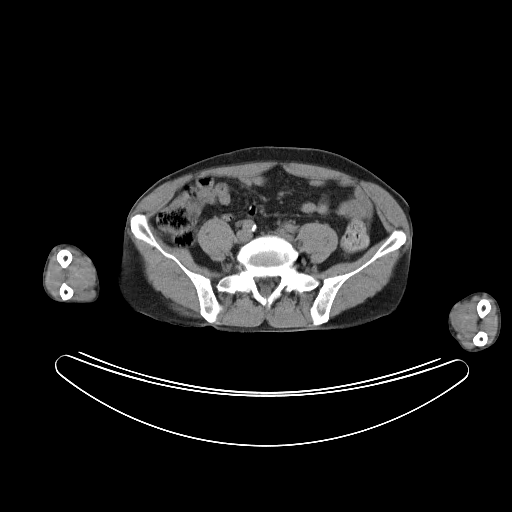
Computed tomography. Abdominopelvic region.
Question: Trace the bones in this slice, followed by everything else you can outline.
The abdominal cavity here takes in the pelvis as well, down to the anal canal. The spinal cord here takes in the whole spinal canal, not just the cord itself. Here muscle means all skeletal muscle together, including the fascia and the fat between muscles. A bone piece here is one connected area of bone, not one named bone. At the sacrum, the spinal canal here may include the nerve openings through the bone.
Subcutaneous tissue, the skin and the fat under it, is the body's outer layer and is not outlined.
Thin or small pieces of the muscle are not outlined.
Answer: Outlined structures:
bones 1: (396, 229) (405, 233) (405, 242) (350, 276) (334, 297) (329, 319) (316, 326) (310, 308) (318, 287) (300, 293) (283, 290) (269, 308) (250, 292) (216, 288) (222, 277) (239, 270) (240, 247) (258, 236) (276, 235) (288, 241) (298, 252) (297, 269) (321, 283) (359, 267) with a hole at (257, 277) (259, 277) (262, 279) (266, 278) (267, 277) (269, 278) (273, 278) (275, 277) (278, 279) (279, 283) (278, 285) (274, 287) (272, 291) (268, 295) (264, 296) (260, 293) (259, 289) (258, 288) (258, 285) (256, 284) (254, 281) (255, 278)
bones 2: (138, 213) (145, 216) (155, 240) (165, 251) (175, 256) (190, 271) (201, 274) (210, 279) (216, 299) (222, 308) (218, 313) (216, 321) (214, 323) (208, 322) (200, 314) (200, 306) (196, 289) (183, 270) (172, 259) (163, 255) (155, 247) (135, 237) (131, 231) (130, 218)
bones 3: (62, 248) (65, 248) (66, 249) (67, 249) (71, 253) (71, 255) (72, 256) (72, 258) (71, 259) (71, 261) (70, 262) (70, 263) (65, 268) (63, 268) (60, 265) (60, 264) (58, 262) (58, 261) (57, 260) (57, 253) (58, 252) (58, 251) (60, 249) (61, 249)
bones 4: (482, 298) (486, 298) (487, 299) (488, 299) (488, 300) (490, 303) (490, 306) (491, 307) (490, 308) (490, 310) (489, 311) (489, 312) (484, 317) (483, 317) (482, 318) (481, 318) (479, 316) (479, 315) (477, 312) (477, 304) (478, 303) (478, 302)
bones 5: (63, 282) (65, 282) (71, 288) (72, 288) (72, 289) (73, 290) (73, 294) (72, 295) (72, 296) (69, 299) (68, 299) (67, 300) (63, 300) (61, 298) (61, 297) (60, 296) (60, 294) (59, 293) (59, 289) (60, 288) (60, 286) (61, 285) (61, 284)
bones 6: (479, 331) (484, 331) (487, 334) (487, 342) (484, 345) (483, 345) (482, 346) (476, 346) (473, 343) (473, 337) (475, 335) (475, 334) (477, 332) (478, 332)
right arm: (64, 242) (67, 242) (76, 245) (83, 250) (93, 261) (97, 270) (97, 273) (99, 278) (99, 284) (100, 285) (99, 295) (95, 301) (89, 303) (62, 303) (51, 299) (48, 297) (45, 293) (42, 286) (42, 272) (47, 255) (53, 246) (56, 244) (63, 243)
torso: (258, 145) (314, 147) (338, 153) (374, 173) (405, 199) (413, 215) (413, 242) (406, 293) (394, 312) (343, 329) (248, 333) (221, 331) (210, 326) (174, 325) (136, 312) (124, 303) (118, 291) (116, 276) (122, 251) (124, 223) (135, 200) (154, 182) (190, 163) (218, 153)
left arm: (475, 291) (485, 291) (488, 292) (497, 300) (501, 312) (501, 329) (498, 338) (491, 346) (481, 351) (478, 351) (477, 352) (468, 352) (464, 350) (451, 336) (448, 329) (447, 321) (448, 320) (448, 314) (451, 307) (458, 300)
abdominal cavity: (275, 167) (310, 180) (352, 180) (371, 198) (387, 235) (353, 261) (340, 261) (321, 271) (315, 266) (302, 271) (294, 246) (279, 235) (267, 233) (241, 245) (237, 263) (218, 271) (198, 264) (186, 247) (165, 243) (151, 222) (177, 190) (197, 178) (245, 179), around a hole outlined by (310, 222) (319, 222) (320, 223) (326, 223) (328, 224) (335, 231) (337, 236) (337, 245) (335, 249) (325, 259) (315, 264) (310, 260) (309, 256) (305, 252) (301, 252) (299, 250) (298, 247) (298, 243) (299, 242) (297, 236) (298, 235) (298, 232) (300, 226)
muscle 1: (256, 161) (300, 162) (329, 167) (373, 182) (386, 190) (401, 207) (410, 229) (407, 248) (395, 265) (388, 283) (362, 303) (330, 318) (333, 302) (342, 285) (375, 260) (399, 249) (407, 238) (400, 228) (388, 235) (374, 201) (356, 181) (337, 178) (310, 179) (289, 173) (280, 166) (245, 178) (200, 176) (177, 189) (151, 218) (152, 226) (165, 244) (174, 248) (186, 248) (198, 265) (210, 270) (221, 272) (238, 264) (238, 270) (222, 276) (215, 288) (230, 294) (250, 293) (268, 309) (283, 291) (300, 294) (318, 288) (309, 308) (314, 326) (274, 327) (266, 321) (251, 327) (215, 323) (223, 308) (211, 279) (190, 270) (175, 255) (165, 250) (156, 240) (143, 213) (130, 216) (144, 197) (165, 182) (198, 169)
muscle 2: (129, 219) (130, 231) (135, 238) (145, 242) (155, 248) (163, 256) (172, 260) (188, 277) (195, 289) (199, 306) (199, 314) (202, 318) (182, 315) (172, 309) (169, 305) (171, 301) (166, 298) (159, 291) (154, 289) (147, 281) (144, 274) (143, 263) (141, 256) (128, 234)
muscle 3: (66, 247) (78, 251) (91, 265) (95, 276) (93, 288) (95, 294) (88, 300) (70, 299) (74, 290) (65, 281) (60, 284) (58, 289) (60, 299) (53, 296) (46, 287) (47, 268) (51, 256) (57, 249) (61, 248) (56, 253) (59, 265) (65, 269) (71, 263) (73, 256)
muscle 4: (476, 295) (479, 296) (484, 295) (493, 301) (496, 307) (497, 328) (494, 337) (489, 343) (487, 343) (488, 334) (484, 330) (477, 331) (472, 337) (472, 343) (475, 346) (468, 348) (464, 346) (457, 337) (457, 332) (451, 323) (451, 317) (458, 305) (465, 301) (470, 300); inner edge: (482, 298) (486, 298) (487, 299) (488, 299) (488, 300) (490, 303) (490, 306) (491, 307) (490, 308) (490, 310) (489, 311) (489, 312) (484, 317) (483, 317) (482, 318) (481, 318) (479, 316) (479, 315) (477, 312) (477, 304) (478, 303) (478, 302)
muscle 5: (310, 222) (319, 222) (320, 223) (326, 223) (328, 224) (335, 231) (337, 236) (337, 245) (335, 249) (325, 259) (315, 264) (310, 260) (309, 256) (305, 252) (301, 252) (299, 250) (298, 247) (298, 243) (299, 242) (297, 236) (298, 235) (298, 232) (300, 226)
muscle 6: (213, 218) (218, 218) (227, 223) (231, 228) (234, 235) (234, 239) (235, 241) (233, 243) (232, 247) (228, 250) (226, 254) (226, 256) (224, 258) (223, 261) (218, 261) (217, 260) (214, 260) (211, 258) (210, 256) (202, 249) (197, 240) (197, 234) (201, 226) (206, 221)
muscle 7: (385, 238) (383, 242) (367, 260) (356, 268) (350, 271) (344, 273) (341, 273) (340, 274) (336, 274) (332, 276) (325, 277) (321, 282) (313, 275) (303, 271) (306, 270) (310, 271) (315, 267) (319, 272) (321, 272) (330, 266) (340, 262) (353, 262) (361, 257) (375, 244)
spinal cord: (257, 277) (259, 277) (262, 279) (266, 278) (267, 277) (269, 278) (273, 278) (275, 277) (278, 279) (279, 283) (278, 285) (274, 287) (272, 291) (268, 295) (264, 296) (260, 293) (259, 289) (258, 288) (258, 285) (256, 284) (254, 281) (255, 278)